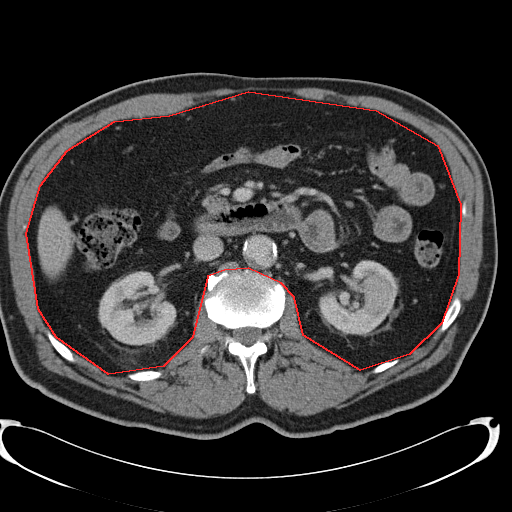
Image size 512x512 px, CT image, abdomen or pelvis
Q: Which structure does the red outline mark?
A: red: abdominal cavity.
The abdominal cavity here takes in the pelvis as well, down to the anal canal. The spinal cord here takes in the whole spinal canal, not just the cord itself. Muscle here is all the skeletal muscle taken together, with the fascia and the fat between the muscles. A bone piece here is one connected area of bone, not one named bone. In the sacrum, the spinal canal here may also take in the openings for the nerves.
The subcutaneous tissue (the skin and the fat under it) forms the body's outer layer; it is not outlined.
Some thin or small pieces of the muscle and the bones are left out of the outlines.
abdominal cavity: 248,91 376,110 437,145 460,204 458,274 441,323 409,354 360,370 303,335 294,297 281,283 248,268 224,270 207,276 192,337 163,366 108,374 56,337 38,309 26,233 40,185 67,150 114,121 169,115
torso: 188,72 338,77 387,84 431,103 470,139 493,190 497,271 483,322 455,377 436,397 314,437 288,437 254,422 219,438 193,439 94,417 45,396 19,376 0,320 0,192 10,171 38,134 79,105 132,82
bones 1: 245,269 271,277 285,290 283,313 269,328 272,336 267,343 268,349 257,358 254,365 256,389 252,394 246,391 247,379 240,359 231,354 223,343 227,330 208,317 204,306 204,299 208,295 207,278 210,274; inner edge: 243,327 254,327 255,328 259,328 261,329 262,334 260,338 252,344 250,345 246,345 245,344 243,344 241,342 239,341 237,341 233,337 232,335 233,330 235,329 237,329 238,328 242,328
bones 2: 455,296 458,297 460,300 460,308 459,309 458,314 455,318 455,319 452,322 452,323 444,331 441,331 440,330 440,327 441,326 441,324 442,323 442,321 443,320 444,315 448,308 448,306 449,305 451,300
bones 3: 47,329 48,329 56,338 57,338 61,342 62,342 72,352 73,357 75,359 75,361 74,362 70,362 68,361 66,359 62,357 58,353 58,352 52,345 51,342 49,340 47,336 47,334 46,333 46,330
bones 4: 146,370 155,370 156,371 159,371 161,372 162,374 160,377 158,378 156,378 155,379 153,379 152,380 148,380 147,381 138,381 137,380 134,380 133,379 131,379 127,376 131,373 134,373 138,371 145,371
bones 5: 394,359 399,359 399,360 395,364 394,364 392,366 385,369 383,371 381,371 380,372 378,372 377,373 371,373 370,372 370,371 374,367 375,367 376,366 377,366 386,361 390,361 391,360 393,360
spinal cord: 243,327 254,327 255,328 259,328 261,329 262,334 260,338 252,344 250,345 246,345 245,344 243,344 241,342 239,341 237,341 233,337 232,335 233,330 235,329 237,329 238,328 242,328
muscle: 252,86 253,87 321,88 335,91 338,93 346,95 368,95 383,98 392,101 411,112 424,116 449,128 467,146 477,163 481,174 481,179 483,184 482,258 478,270 479,277 475,293 469,300 461,315 458,323 458,330 454,337 451,350 439,362 425,371 417,373 411,376 408,376 403,379 386,385 359,400 341,408 328,408 317,413 309,415 297,415 296,414 281,412 268,405 257,395 248,395 241,404 235,409 222,415 215,415 207,418 194,418 181,415 172,415 169,413 159,412 147,407 144,407 132,401 105,393 80,383 73,379 48,370 40,363 38,359 36,350 17,306 15,298 15,292 12,285 12,278 10,272 10,263 8,253 7,216 10,201 13,195 16,182 18,180 23,168 30,158 48,138 65,124 81,118 84,118 101,109 106,108 111,105 136,96 151,94 152,93 173,93 178,94 184,92 202,92 218,88 238,89 with holes at 248,91 290,92 376,110 437,145 459,203 467,205 467,215 459,217 455,319 392,366 371,373 311,343 287,292 283,313 269,328 268,349 255,362 252,394 240,359 223,343 227,330 207,315 206,289 195,307 190,341 155,370 162,374 158,378 111,375 73,351 74,362 62,357 38,309 23,228 45,176 78,141 114,121 169,115 and at 207,345 208,346 208,347 208,348 207,349 206,350 206,351 205,352 204,353 203,354 202,354 201,355 200,354 199,353 199,352 199,351 199,350 200,349 201,348 202,347 203,347 204,346 205,346 206,346